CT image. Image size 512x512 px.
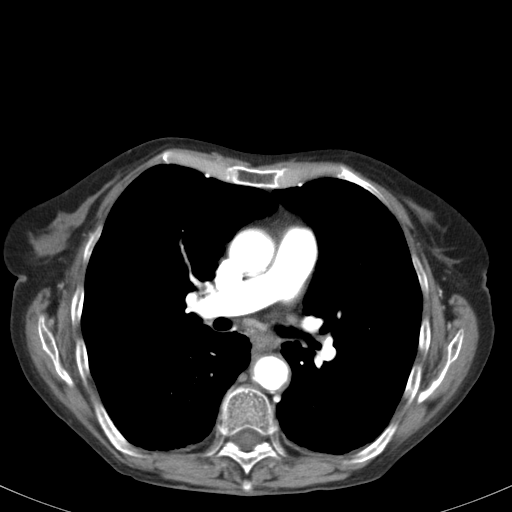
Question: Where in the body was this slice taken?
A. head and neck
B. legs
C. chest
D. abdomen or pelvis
Answer: C. chest
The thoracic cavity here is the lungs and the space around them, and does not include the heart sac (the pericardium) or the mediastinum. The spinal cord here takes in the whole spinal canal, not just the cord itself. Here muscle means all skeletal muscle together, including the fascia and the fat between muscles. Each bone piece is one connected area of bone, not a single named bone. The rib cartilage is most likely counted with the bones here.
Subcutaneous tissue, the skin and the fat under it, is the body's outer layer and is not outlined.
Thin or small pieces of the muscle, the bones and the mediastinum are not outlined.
The mediastinum is outlined by 279 204; 310 226; 318 254; 303 298; 301 326; 293 341; 281 345; 281 354; 291 369; 291 380; 274 410; 267 396; 258 389; 242 385; 231 387; 250 362; 251 344; 248 337; 238 331; 219 328; 206 300; 226 244; 249 222; 273 214. The muscle is outlined by 170 148; 216 152; 254 167; 291 160; 340 162; 388 190; 414 226; 441 291; 441 301; 446 305; 457 293; 468 301; 477 318; 475 355; 452 399; 380 461; 335 481; 241 491; 165 479; 117 461; 40 376; 27 349; 25 314; 42 288; 50 287; 57 293; 82 233; 112 185; 154 156; 121 192; 103 224; 98 223; 89 234; 82 254; 84 282; 75 287; 70 300; 71 325; 80 323; 82 335; 74 344; 77 369; 85 386; 91 376; 100 399; 93 400; 96 419; 121 453; 144 458; 140 448; 176 453; 211 440; 202 453; 204 457; 229 457; 248 475; 264 458; 279 461; 285 457; 285 442; 302 453; 340 458; 351 455; 342 461; 344 464; 362 463; 378 456; 392 439; 398 422; 391 419; 401 399; 408 406; 416 396; 420 404; 440 385; 464 339; 464 330; 457 330; 446 346; 439 373; 418 393; 423 368; 415 359; 418 351; 427 354; 431 340; 430 318; 422 317; 428 278; 419 257; 410 252; 386 198; 345 165; 258 168; 229 165; 220 159; inner edges: 41 314; 44 315; 45 325; 53 334; 55 343; 58 350; 60 362; 62 366; 66 370; 72 379; 73 381; 73 385; 72 386; 69 386; 66 382; 58 375; 51 358; 42 347; 41 341; 38 333; 38 328; 37 327; 38 326; 38 318, then 245 479; 247 479; 248 480; 249 480; 251 482; 251 485; 252 486; 251 487; 251 488; 249 490; 244 490; 242 488; 242 483; 243 482; 243 481. The torso is outlined by 164 136; 191 137; 265 154; 354 150; 393 166; 445 199; 482 236; 490 257; 486 284; 495 323; 489 357; 461 403; 383 476; 338 489; 256 496; 138 481; 112 468; 27 381; 9 332; 17 278; 4 264; 2 246; 10 223; 123 151. The bones appear in 12 outlined pieces: piece 1: 240 386; 256 389; 266 396; 273 408; 274 419; 279 427; 279 436; 286 452; 286 455; 279 460; 271 456; 260 459; 252 466; 248 474; 245 474; 242 467; 229 456; 224 455; 212 459; 203 455; 214 437; 220 405; 226 392; 230 388 with a hole at 246 428; 249 428; 250 429; 252 429; 256 431; 259 434; 260 436; 260 441; 258 443; 257 443; 251 450; 248 450; 247 451; 245 450; 242 450; 238 446; 238 445; 235 442; 234 440; 234 436; 239 431; 243 429; 245 429; piece 2: 165 150; 189 154; 209 160; 220 160; 229 166; 241 165; 258 169; 343 165; 373 185; 385 198; 390 210; 376 196; 360 185; 330 175; 307 179; 296 185; 287 187; 260 188; 227 182; 204 171; 175 163; 159 163; 148 167; 149 163; piece 3: 96 398; 101 402; 104 409; 106 411; 108 416; 115 427; 131 444; 139 448; 141 450; 145 455; 144 457; 137 457; 136 456; 129 455; 126 453; 123 453; 118 450; 110 442; 100 426; 100 424; 97 419; 94 410; 94 400; piece 4: 41 314; 44 315; 45 325; 53 334; 55 343; 58 350; 60 362; 62 366; 66 370; 72 379; 73 381; 73 385; 72 386; 69 386; 66 382; 58 375; 51 358; 42 347; 41 341; 38 333; 38 328; 37 327; 38 326; 38 318; piece 5: 392 421; 396 421; 397 422; 397 427; 391 439; 388 442; 384 449; 378 455; 373 458; 365 460; 362 462; 356 462; 355 463; 344 463; 343 462; 345 459; 348 459; 354 453; 359 451; 369 444; 372 443; 382 433; 390 422; piece 6: 459 329; 462 329; 463 330; 463 339; 457 357; 449 365; 444 375; 444 377; 439 385; 426 399; 420 403; 418 403; 417 402; 417 396; 418 394; 421 391; 424 390; 431 382; 438 376; 443 368; 447 357; 447 346; 449 342; 453 338; piece 7: 415 362; 419 363; 421 365; 421 367; 422 368; 421 378; 420 379; 420 382; 419 383; 419 386; 418 387; 418 390; 416 395; 412 401; 408 405; 407 405; 406 404; 406 400; 403 398; 402 396; 403 395; 411 369; 413 366; 413 364; piece 8: 79 337; 81 337; 83 339; 83 341; 85 344; 85 348; 87 354; 87 361; 88 362; 88 366; 90 372; 90 376; 87 378; 87 384; 86 385; 83 383; 82 378; 78 369; 78 366; 75 357; 75 344; 76 343; 76 339; piece 9: 81 284; 83 285; 83 304; 82 305; 82 309; 81 310; 81 317; 80 318; 80 322; 77 325; 75 326; 73 326; 72 325; 72 321; 71 320; 71 300; 72 299; 72 296; 73 295; 73 293; 76 287; 78 285; 80 285; piece 10: 424 317; 428 317; 429 318; 429 323; 430 324; 430 340; 429 341; 429 346; 428 347; 427 352; 425 355; 424 355; 424 354; 421 351; 419 351; 418 350; 418 344; 419 343; 419 335; 420 334; 420 327; 421 326; 422 318; piece 11: 98 224; 102 224; 103 225; 101 229; 101 232; 100 233; 100 235; 96 243; 93 247; 93 249; 89 257; 89 260; 87 263; 86 267; 85 267; 83 264; 83 254; 84 253; 84 248; 89 238; 90 234; 94 230; 94 229; piece 12: 412 253; 414 253; 418 257; 427 278; 428 293; 426 296; 424 296; 423 295; 421 288; 420 287; 420 284; 418 280; 418 277; 417 276; 417 274; 416 273; 416 271; 415 270; 415 268; 412 261; 412 257; 411 256; 411 254. The thoracic cavity is outlined by 159 164; 268 193; 330 176; 393 214; 421 321; 372 442; 340 457; 281 439; 275 410; 292 380; 282 345; 302 326; 319 254; 281 203; 235 232; 209 281; 211 319; 250 344; 213 437; 160 452; 116 427; 82 334; 86 269; 116 200. The spinal cord is outlined by 246 428; 249 428; 250 429; 252 429; 256 431; 259 434; 260 436; 260 441; 258 443; 257 443; 251 450; 248 450; 247 451; 245 450; 242 450; 238 446; 238 445; 235 442; 234 440; 234 436; 239 431; 243 429; 245 429.